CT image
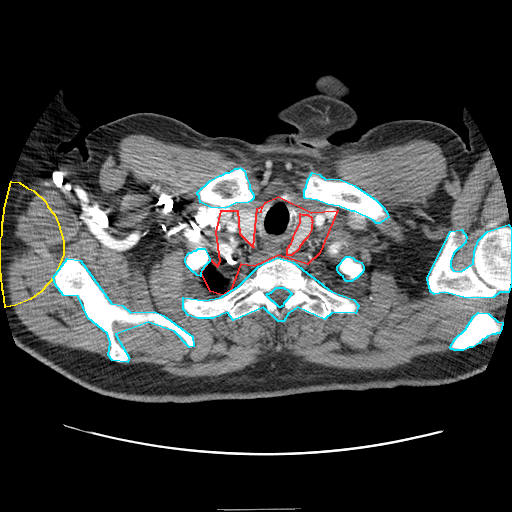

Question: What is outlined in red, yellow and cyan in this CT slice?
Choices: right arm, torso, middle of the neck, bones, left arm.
Answer: red: middle of the neck; yellow: right arm; cyan: bones.
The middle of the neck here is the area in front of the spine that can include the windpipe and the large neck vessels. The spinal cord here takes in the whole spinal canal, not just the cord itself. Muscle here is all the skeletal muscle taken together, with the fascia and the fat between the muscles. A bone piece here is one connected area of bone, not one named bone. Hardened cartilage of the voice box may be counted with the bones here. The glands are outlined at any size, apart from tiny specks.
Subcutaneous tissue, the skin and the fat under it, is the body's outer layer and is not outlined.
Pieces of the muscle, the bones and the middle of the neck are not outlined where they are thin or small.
middle of the neck: 278,196 311,212 337,210 319,253 307,264 278,255 254,266 240,264 230,290 222,295 210,291 201,272 210,259 217,266 220,261 216,232 221,210 237,210 239,233 253,247 257,208 261,206 260,212 265,202, around a hole outlined by 300,213 302,214 307,214 311,217 311,219 312,220 311,221 312,222 311,224 311,229 307,237 302,242 302,243 299,246 298,249 291,255 287,255 287,248 291,243 292,241 292,239 293,238 293,236 300,223
right arm: 11,181 19,182 26,187 33,190 45,201 47,206 54,214 58,224 63,241 63,254 54,276 41,291 30,299 15,305 5,307 3,291 2,290 1,274 0,273 0,239 2,235 2,221 3,220 4,208
bones 1: 277,257 293,262 331,291 353,299 358,305 355,313 332,312 324,319 297,307 288,313 283,321 278,321 263,307 233,320 227,312 213,318 197,318 188,315 183,309 183,297 204,300 220,297 238,286 258,266 with a hole at 276,287 283,287 284,288 287,289 291,293 291,294 288,297 288,298 283,303 282,306 281,306 280,307 279,307 273,301 272,301 267,296 267,295 266,294 267,293 269,293 270,292 271,292
bones 2: 508,224 511,228 511,283 508,292 499,292 493,297 467,298 444,292 434,294 430,291 427,278 450,231 461,229 466,236 465,242 453,253 450,261 450,266 453,270 461,271 473,263 474,251 478,240 487,231
bones 3: 67,258 80,260 111,303 122,305 130,312 154,311 163,315 192,336 193,346 189,347 174,331 148,322 115,334 129,358 127,362 112,360 108,355 110,342 107,333 88,318 78,296 63,295 55,284 53,277
bones 4: 312,172 319,174 325,179 329,178 340,179 354,185 376,200 383,207 387,213 388,217 379,223 376,223 373,220 354,211 351,211 339,206 327,204 317,200 305,198 304,197 304,189 306,187 307,180
bones 5: 239,167 244,170 246,178 249,184 249,188 253,194 253,198 250,201 248,202 235,203 225,208 210,207 200,202 199,196 197,194 197,192 210,180 219,175 221,175 226,172 229,172 235,168 238,168
bones 6: 478,312 488,313 497,321 502,322 501,329 499,333 496,333 495,334 492,334 487,336 485,338 482,339 479,343 472,347 469,347 463,350 454,350 453,349 451,349 450,348 450,346 455,338 465,329 473,316
bones 7: 346,256 350,256 352,257 355,260 357,260 361,262 363,266 363,270 362,272 356,278 355,278 351,281 346,281 344,279 343,276 341,275 338,272 337,270 337,266
bones 8: 198,248 204,248 209,258 209,261 203,267 203,268 201,270 200,272 200,276 197,275 194,272 193,272 187,266 185,262 185,258 187,254 189,252 191,252 194,250 196,250
torso: 324,74 358,116 333,143 423,119 467,144 464,108 489,149 503,187 466,259 504,317 481,373 144,403 16,345 6,308 64,241 11,180 61,90 80,129 58,149 86,157 136,112 254,143 295,131 276,113
left arm: 502,188 504,188 505,198 508,205 508,214 509,215 509,223 508,225 511,228 511,283 508,290 508,304 504,314 500,312 477,289 473,282 473,279 470,273 469,264 467,259 467,238 470,228 485,202 494,193
spinal cord: 276,287 283,287 284,288 287,289 291,293 291,294 288,297 288,298 283,303 282,306 281,306 280,307 279,307 273,301 272,301 267,296 267,295 266,294 267,293 269,293 270,292 271,292
thyroid glands 1: 243,208 256,208 257,209 256,211 256,220 255,221 255,228 254,229 254,239 255,240 255,242 253,246 250,246 245,241 244,238 240,233 240,223 237,219 236,212 238,210 240,209 242,209
thyroid glands 2: 300,213 302,214 307,214 311,217 311,219 312,220 311,221 312,222 311,224 311,229 307,237 302,242 302,243 299,246 298,249 291,255 287,255 287,248 291,243 292,241 292,239 293,238 293,236 300,223
muscle 1: 129,134 250,160 344,158 419,138 459,169 489,149 509,223 487,230 461,270 451,261 467,236 450,230 426,284 467,299 508,293 503,321 478,311 450,344 457,351 389,369 279,355 183,377 121,363 130,354 116,334 151,323 189,348 193,336 157,311 111,302 81,260 67,257 54,284 106,333 110,359 51,345 9,298 14,202 52,172 92,170 with holes at 239,167 253,198 226,209 257,208 287,193 298,208 337,210 319,253 296,264 353,299 355,313 324,319 297,307 278,321 263,307 233,320 183,309 185,296 221,296 185,258 204,248 219,264 222,209 197,192 and at 312,172 319,174 325,179 329,178 340,179 354,185 376,200 383,207 387,213 388,217 379,223 376,223 373,220 354,211 351,211 339,206 327,204 317,200 305,198 304,197 304,189 306,187 307,180 and at 346,256 350,256 352,257 355,260 357,260 361,262 363,266 363,270 362,272 356,278 355,278 351,281 346,281 344,279 343,276 341,275 338,272 337,270 337,266
muscle 2: 240,265 248,265 250,267 254,267 255,266 257,266 253,270 253,271 251,273 249,273 238,285 237,285 233,288 231,288 230,289 229,289 229,286 235,279 235,275 236,274 236,270 237,269 239,269 240,268